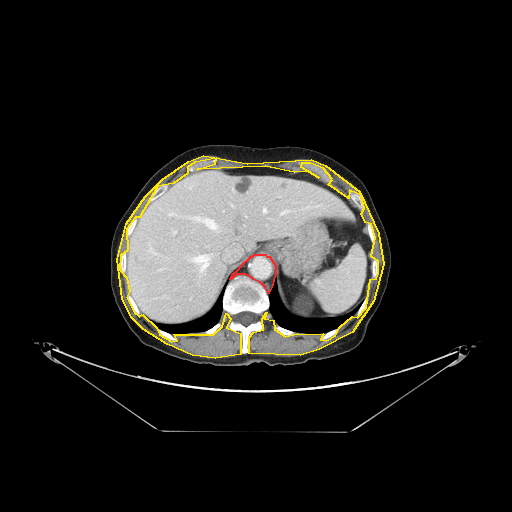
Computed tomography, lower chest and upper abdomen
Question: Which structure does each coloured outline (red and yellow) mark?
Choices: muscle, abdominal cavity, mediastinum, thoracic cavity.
Answer: red: mediastinum; yellow: muscle.
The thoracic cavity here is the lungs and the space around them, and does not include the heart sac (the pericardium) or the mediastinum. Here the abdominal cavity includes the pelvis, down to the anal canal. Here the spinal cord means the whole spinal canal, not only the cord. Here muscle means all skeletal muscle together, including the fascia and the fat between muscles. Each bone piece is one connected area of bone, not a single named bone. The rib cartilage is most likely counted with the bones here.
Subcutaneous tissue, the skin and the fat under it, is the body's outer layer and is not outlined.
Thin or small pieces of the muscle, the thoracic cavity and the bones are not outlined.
The mediastinum is outlined by 254 254; 265 254; 266 256; 269 256; 275 265; 275 275; 273 279; 272 285; 268 293; 265 287; 260 282; 253 279; 248 275; 245 274; 236 274; 230 279; 232 274; 239 268; 240 266; 241 266; 242 264; 250 257; 250 256; 252 256. The muscle is outlined by 203 155; 247 163; 311 159; 325 165; 359 191; 378 233; 383 264; 373 301; 352 332; 319 349; 300 355; 249 353; 249 337; 253 332; 263 329; 262 318; 266 312; 264 318; 273 320; 274 329; 285 336; 297 333; 323 334; 320 339; 326 340; 335 335; 340 326; 352 316; 357 317; 366 307; 370 279; 376 278; 378 274; 378 261; 371 256; 375 237; 371 224; 365 222; 361 213; 364 208; 361 195; 349 190; 348 198; 328 184; 332 179; 323 168; 310 163; 301 163; 300 166; 318 177; 308 171; 294 172; 265 166; 197 169; 215 163; 216 158; 194 162; 187 167; 187 173; 173 183; 157 186; 139 217; 135 217; 126 229; 127 250; 120 255; 119 269; 126 277; 129 291; 126 297; 134 312; 139 316; 142 314; 156 327; 159 334; 171 341; 177 340; 174 334; 213 334; 222 326; 226 313; 230 318; 226 327; 240 333; 240 354; 215 358; 192 355; 167 344; 143 329; 132 318; 122 299; 117 259; 126 223; 145 196; 162 179; 188 161. The torso is outlined by 206 144; 311 148; 339 161; 365 184; 386 231; 391 268; 381 302; 364 338; 355 348; 342 355; 310 359; 293 366; 271 367; 254 362; 247 366; 219 367; 194 364; 162 353; 140 342; 130 330; 110 287; 114 229; 154 172; 179 153. The abdominal cavity is outlined by 243 167; 308 172; 351 201; 363 217; 371 244; 370 278; 359 306; 337 317; 292 314; 278 293; 274 261; 265 253; 254 253; 224 281; 217 300; 201 317; 170 325; 151 321; 142 313; 128 287; 126 273; 128 240; 146 206; 188 172. The bones appear in 13 outlined pieces: piece 1: 236 275; 245 275; 260 283; 266 290; 269 299; 268 311; 261 318; 263 327; 249 335; 247 340; 249 352; 244 354; 240 352; 241 333; 227 327; 231 318; 226 312; 221 326; 213 333; 202 332; 219 321; 223 311; 222 300; 225 287 with a hole at 241 312; 251 312; 252 313; 254 313; 256 315; 256 317; 257 318; 256 319; 256 320; 254 322; 252 322; 251 323; 250 323; 247 325; 244 325; 243 324; 242 324; 240 322; 238 322; 235 320; 235 316; 237 314; 238 314; piece 2: 301 164; 310 164; 311 165; 315 165; 323 169; 330 176; 330 178; 331 179; 330 181; 328 182; 325 182; 323 181; 321 179; 320 179; 318 175; 317 175; 311 170; 309 169; 304 169; 301 166; piece 3: 349 191; 353 191; 354 192; 356 192; 357 193; 358 193; 360 195; 360 196; 362 199; 362 205; 363 206; 363 208; 361 211; 360 211; 354 205; 354 204; 352 202; 352 201; 350 199; 350 198; 349 197; piece 4: 207 159; 216 159; 215 162; 213 162; 212 163; 208 163; 206 165; 205 165; 204 166; 202 166; 201 167; 199 167; 191 172; 188 171; 188 170; 187 169; 190 165; 191 165; 194 163; 196 163; 197 162; 202 161; 203 160; 206 160; piece 5: 162 184; 167 184; 168 185; 167 186; 167 188; 160 195; 159 195; 157 197; 156 197; 155 198; 155 199; 154 199; 151 202; 150 202; 149 203; 149 201; 148 200; 149 199; 150 196; 154 191; 154 190; 157 187; 158 187; piece 6: 124 251; 127 251; 127 255; 126 256; 126 272; 125 273; 125 274; 123 274; 121 272; 121 270; 120 269; 120 258; 121 257; 121 255; 122 254; 122 253; piece 7: 130 292; 131 292; 131 294; 133 296; 133 299; 135 301; 135 303; 137 305; 137 307; 141 312; 141 313; 139 315; 138 314; 137 314; 135 312; 135 311; 131 306; 131 305; 128 300; 128 298; 127 297; 127 296; 128 295; 128 294; piece 8: 276 323; 277 324; 278 324; 281 327; 282 327; 283 328; 285 328; 286 329; 288 329; 291 331; 293 331; 294 332; 296 332; 296 333; 294 335; 285 335; 284 334; 281 333; 278 330; 275 329; 274 326; piece 9: 135 218; 138 218; 138 219; 137 220; 137 222; 135 225; 135 227; 133 229; 133 231; 131 233; 131 235; 129 237; 129 239; 129 238; 127 236; 127 234; 126 233; 127 232; 127 229; 128 228; 129 225; 132 222; 132 221; piece 10: 365 296; 368 296; 368 301; 367 302; 367 303; 366 304; 365 307; 362 310; 362 311; 357 316; 355 316; 355 313; 357 311; 357 310; 359 308; 360 305; 362 303; 362 302; 363 301; 363 300; 364 299; piece 11: 367 223; 369 223; 370 224; 370 225; 371 226; 371 228; 372 229; 372 232; 373 233; 373 236; 374 237; 374 242; 373 243; 371 243; 371 242; 370 241; 370 239; 369 238; 369 236; 368 235; 368 233; 366 230; 366 224; piece 12: 157 328; 159 328; 160 329; 161 329; 163 331; 165 331; 166 332; 167 332; 168 333; 171 334; 174 337; 175 337; 176 338; 176 340; 171 340; 170 339; 167 338; 165 336; 162 335; 157 331; 157 330; 156 329; piece 13: 336 328; 338 328; 338 331; 335 334; 334 334; 333 335; 332 335; 330 337; 329 337; 328 338; 327 338; 326 339; 321 339; 321 337; 326 332; 327 332; 328 331; 330 331; 331 330; 332 330; 333 329; 335 329. The spinal cord is outlined by 241 312; 251 312; 252 313; 254 313; 256 315; 256 317; 257 318; 256 319; 256 320; 254 322; 252 322; 251 323; 250 323; 247 325; 244 325; 243 324; 242 324; 240 322; 238 322; 235 320; 235 316; 237 314; 238 314. The thoracic cavity appears in 2 outlined pieces: piece 1: 274 280; 276 282; 277 293; 282 304; 294 316; 306 319; 337 318; 340 316; 348 314; 358 307; 358 308; 354 314; 341 325; 338 327; 328 330; 324 333; 297 332; 281 326; 274 320; 273 316; 269 311; 270 307; 269 292; 273 285; piece 2: 223 290; 222 299; 221 300; 222 311; 220 317; 215 324; 203 331; 187 332; 186 333; 174 333; 172 334; 159 327; 157 327; 152 322; 157 322; 160 324; 165 324; 170 326; 176 326; 180 324; 185 324; 197 320; 204 316; 212 309.